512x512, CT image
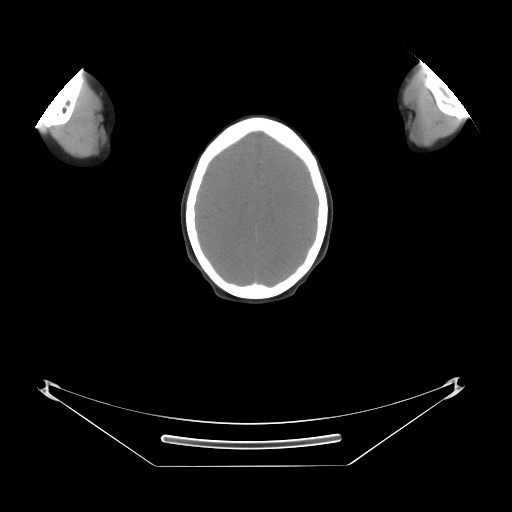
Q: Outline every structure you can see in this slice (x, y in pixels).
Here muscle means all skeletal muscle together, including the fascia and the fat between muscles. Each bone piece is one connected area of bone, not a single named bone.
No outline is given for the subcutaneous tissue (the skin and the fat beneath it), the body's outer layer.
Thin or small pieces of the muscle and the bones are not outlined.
A: The brain is outlined by (253, 132) (262, 132) (287, 148) (303, 162) (309, 174) (311, 184) (317, 199) (315, 233) (303, 260) (291, 273) (272, 285) (267, 285) (256, 281) (248, 284) (238, 284) (226, 280) (216, 270) (204, 253) (196, 227) (195, 206) (197, 196) (210, 162) (222, 151). The bones appear in 3 outlined pieces: piece 1: (253, 116) (267, 117) (279, 121) (289, 126) (305, 142) (316, 158) (328, 204) (327, 225) (323, 242) (308, 271) (287, 290) (275, 296) (259, 299) (243, 298) (232, 295) (212, 281) (203, 270) (192, 250) (185, 224) (187, 194) (200, 155) (206, 146) (226, 127) (237, 121); inner edge: (253, 132) (262, 132) (287, 148) (303, 162) (309, 174) (311, 184) (317, 199) (315, 233) (303, 260) (291, 273) (272, 285) (267, 285) (256, 281) (248, 284) (238, 284) (226, 280) (216, 270) (204, 253) (196, 227) (195, 206) (197, 196) (210, 162) (222, 151); piece 2: (81, 69) (83, 69) (83, 77) (85, 81) (76, 99) (75, 105) (73, 108) (73, 111) (71, 114) (70, 118) (67, 121) (67, 122) (63, 124) (52, 125) (48, 127) (44, 123) (41, 117) (42, 114) (46, 109) (47, 106) (58, 93) (58, 92) (63, 87) (63, 86); piece 3: (434, 72) (435, 72) (435, 73) (437, 74) (444, 82) (445, 82) (448, 87) (455, 94) (464, 106) (466, 110) (464, 111) (462, 119) (459, 119) (455, 116) (448, 115) (442, 112) (437, 106) (434, 96) (430, 90) (424, 85) (423, 80) (426, 78) (429, 73) (432, 75). The muscle appears in 2 outlined pieces: piece 1: (84, 73) (88, 76) (95, 90) (102, 93) (102, 99) (105, 106) (105, 130) (107, 142) (98, 155) (88, 158) (75, 158) (66, 153) (49, 135) (45, 135) (41, 131) (37, 121) (40, 116) (43, 123) (48, 128) (63, 125) (68, 122) (72, 116) (77, 99) (86, 81); piece 2: (423, 65) (428, 65) (433, 71) (432, 74) (429, 72) (422, 82) (433, 96) (438, 109) (445, 115) (452, 116) (463, 121) (452, 134) (439, 139) (429, 147) (418, 146) (409, 139) (407, 110) (402, 103) (402, 90) (406, 84) (406, 80) (410, 80) (419, 70) (419, 67). The left arm is outlined by (419, 60) (428, 65) (445, 82) (448, 87) (455, 94) (464, 106) (472, 120) (468, 119) (467, 120) (459, 135) (448, 147) (440, 152) (427, 155) (417, 155) (410, 152) (406, 148) (404, 143) (403, 124) (396, 104) (396, 93) (402, 78) (408, 69) (414, 64) (418, 63). The right arm is outlined by (84, 68) (93, 74) (103, 84) (113, 102) (115, 109) (115, 125) (112, 136) (111, 154) (105, 162) (100, 165) (93, 167) (75, 167) (56, 159) (48, 151) (44, 145) (35, 126) (35, 123) (37, 122) (39, 117) (42, 115) (47, 106) (63, 86) (75, 74). The head is outlined by (255, 112) (272, 114) (289, 121) (309, 142) (316, 152) (325, 171) (333, 197) (334, 211) (329, 245) (326, 254) (317, 269) (292, 296) (284, 300) (267, 304) (243, 304) (218, 297) (188, 259) (182, 237) (179, 216) (183, 188) (190, 169) (199, 152) (227, 122) (238, 116).